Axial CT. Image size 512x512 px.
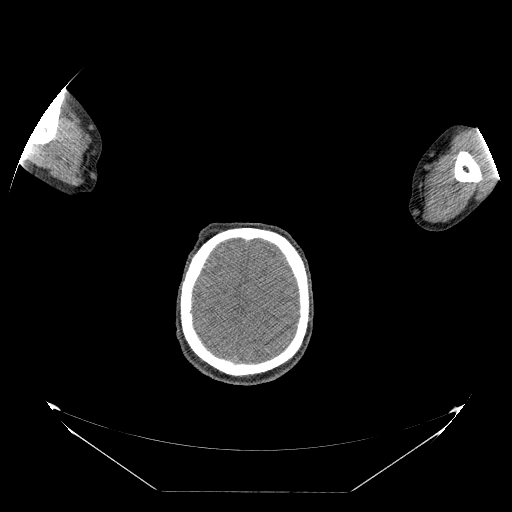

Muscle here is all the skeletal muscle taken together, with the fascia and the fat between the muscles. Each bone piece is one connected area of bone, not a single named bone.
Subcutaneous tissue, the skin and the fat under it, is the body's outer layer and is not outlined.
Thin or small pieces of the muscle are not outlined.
The head is outlined by 218,221 262,222 279,226 288,231 296,240 303,249 309,263 314,296 314,323 311,339 303,357 297,364 280,377 269,382 244,386 214,380 198,371 186,360 175,337 175,302 187,256 197,239 199,231 209,223. The brain is outlined by 237,238 246,241 261,239 275,246 283,255 295,280 297,289 298,316 295,323 295,330 291,339 278,353 259,361 234,361 229,358 215,354 204,343 194,325 194,315 192,309 193,291 196,282 213,250 219,244. The bones appear in 3 outlined pieces: piece 1: 240,226 266,228 276,231 285,236 294,245 303,259 308,275 310,290 310,312 307,331 302,345 289,360 262,373 233,376 219,371 200,359 187,344 180,327 179,286 186,268 186,264 193,253 205,240 221,230; inner edge: 237,238 246,241 261,239 275,246 283,255 295,280 297,289 298,316 295,323 295,330 291,339 278,353 259,361 234,361 229,358 215,354 204,343 194,325 194,315 192,309 193,291 196,282 213,250 219,244; piece 2: 57,94 58,104 59,105 59,111 60,113 59,114 59,123 58,124 57,132 53,140 43,145 41,145 40,144 38,145 30,145 29,144 26,144 30,136 30,134 32,132 42,114 45,111 52,100 57,95; piece 3: 460,150 465,150 466,151 468,151 473,156 473,157 478,162 478,163 480,165 480,169 482,173 482,179 478,182 476,182 475,183 474,182 460,182 458,181 455,178 454,178 454,164 455,163 456,156 458,152. The right arm is outlined by 64,86 68,92 70,92 75,96 88,112 97,126 100,132 102,140 102,150 97,162 97,179 94,188 91,191 79,193 73,196 70,196 62,193 44,183 27,172 18,162 30,134 42,114. The left arm is outlined by 454,124 465,124 473,126 475,128 478,128 494,161 499,177 499,183 495,186 493,191 478,207 460,222 446,230 429,231 420,227 413,220 408,210 408,202 411,194 412,176 414,169 419,159 426,149 446,128. The muscle appears in 3 outlined pieces: piece 1: 460,129 471,129 482,135 494,161 498,177 491,188 480,199 470,205 465,210 452,219 446,222 438,222 437,223 427,222 423,220 420,215 416,212 418,185 423,172 423,166 426,163 430,154 451,138 453,134, around a hole outlined by 460,150 465,150 466,151 468,151 473,156 473,157 478,162 478,163 480,165 480,169 482,173 482,179 478,182 476,182 475,183 474,182 460,182 458,181 455,178 454,178 454,164 455,163 456,156 458,152; piece 2: 60,91 71,104 80,119 89,128 92,135 90,165 87,181 84,185 78,187 69,186 47,175 38,168 25,161 21,157 25,145 30,146 40,145 43,146 54,140 58,132 60,123 61,112 58,98 58,94; piece 3: 219,229 223,229 221,229 220,230 219,230 218,231 213,233 211,235 210,235 206,239 205,239 199,245 201,240 202,240 209,234 214,232 215,231 215,230 218,230.